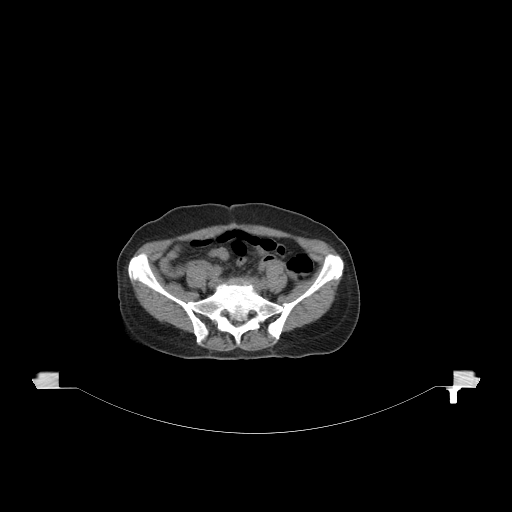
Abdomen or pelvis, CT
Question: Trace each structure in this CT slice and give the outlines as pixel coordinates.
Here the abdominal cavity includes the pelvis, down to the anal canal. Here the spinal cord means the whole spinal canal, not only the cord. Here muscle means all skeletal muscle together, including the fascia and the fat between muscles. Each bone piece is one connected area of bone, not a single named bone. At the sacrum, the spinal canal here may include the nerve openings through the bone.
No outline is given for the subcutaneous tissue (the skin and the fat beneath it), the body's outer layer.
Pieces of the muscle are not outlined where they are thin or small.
Answer: Outlined structures:
abdominal cavity: [[231,228],[256,235],[291,239],[316,262],[317,267],[311,277],[300,281],[287,293],[280,293],[275,301],[261,295],[250,281],[241,276],[229,277],[217,284],[211,294],[200,298],[197,291],[186,289],[177,281],[165,281],[156,262],[176,242],[211,238]]; inner edge: [[276,261],[280,261],[284,264],[284,271],[287,276],[287,281],[284,287],[279,292],[277,293],[274,293],[270,291],[267,288],[266,288],[266,284],[264,282],[264,279],[266,277],[266,272],[267,271],[267,269],[268,267],[270,265],[273,264],[274,262]]
bones: [[142,252],[163,288],[185,302],[241,277],[264,298],[282,304],[313,283],[327,254],[340,255],[344,267],[338,279],[292,308],[278,340],[267,330],[274,316],[244,332],[238,345],[201,315],[208,334],[198,344],[178,303],[129,278],[129,260]], around a hole outlined by [[231,319],[234,319],[235,320],[238,320],[239,321],[240,320],[245,320],[245,321],[242,324],[241,324],[240,325],[239,325],[238,326],[235,326],[231,322],[231,321],[230,320]]
torso: [[256,201],[302,213],[329,227],[348,247],[359,285],[360,311],[356,326],[347,341],[336,351],[327,354],[300,358],[267,357],[247,360],[185,359],[145,349],[132,343],[119,326],[115,269],[118,255],[133,232],[142,224],[179,205],[207,202],[229,205]]
muscle 1: [[231,222],[257,224],[298,236],[319,239],[329,244],[338,253],[329,252],[324,256],[314,280],[301,294],[290,301],[278,303],[276,300],[280,294],[287,294],[297,284],[311,278],[318,267],[317,262],[293,239],[256,234],[243,228],[231,227],[211,237],[176,241],[167,248],[155,264],[165,282],[177,282],[186,290],[197,292],[199,299],[185,301],[169,292],[159,282],[145,252],[133,254],[146,242],[167,239],[201,228]]
muscle 2: [[128,277],[178,304],[191,322],[195,342],[198,345],[200,345],[209,334],[201,316],[213,322],[219,331],[230,334],[238,346],[244,333],[257,330],[261,323],[274,317],[266,330],[279,341],[273,346],[254,351],[240,348],[218,351],[199,346],[190,338],[187,333],[150,315],[135,297]]
muscle 3: [[343,272],[343,276],[338,285],[335,298],[330,308],[318,319],[310,323],[305,324],[301,327],[294,328],[292,330],[284,333],[280,339],[286,320],[293,308],[302,300],[316,292],[326,283],[332,280],[338,280],[342,276]]
muscle 4: [[276,261],[280,261],[284,264],[284,271],[287,276],[287,281],[284,287],[279,292],[277,293],[274,293],[270,291],[267,288],[266,288],[266,284],[264,282],[264,279],[266,277],[266,272],[267,271],[267,269],[268,267],[270,265],[273,264],[274,262]]
muscle 5: [[191,261],[200,261],[201,262],[203,262],[203,263],[205,264],[205,265],[207,267],[206,269],[207,270],[207,278],[203,286],[202,286],[200,288],[193,289],[191,288],[188,285],[186,281],[186,271],[185,270],[186,269],[186,265],[189,262]]
spinal cord 1: [[231,319],[234,319],[235,320],[238,320],[239,321],[240,320],[245,320],[245,321],[242,324],[241,324],[240,325],[239,325],[238,326],[235,326],[231,322],[231,321],[230,320]]
spinal cord 2: [[223,311],[224,311],[225,311],[226,312],[226,313],[226,314],[225,315],[224,315],[223,315],[222,314],[222,313],[222,312]]
spinal cord 3: [[251,312],[252,312],[253,312],[254,313],[254,314],[254,315],[253,316],[252,316],[251,316],[250,315],[250,314],[250,313]]